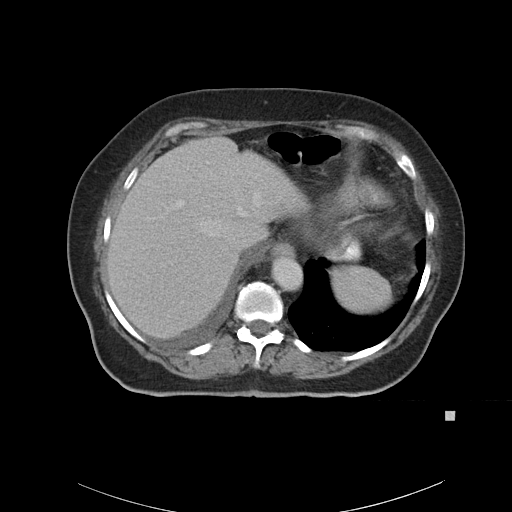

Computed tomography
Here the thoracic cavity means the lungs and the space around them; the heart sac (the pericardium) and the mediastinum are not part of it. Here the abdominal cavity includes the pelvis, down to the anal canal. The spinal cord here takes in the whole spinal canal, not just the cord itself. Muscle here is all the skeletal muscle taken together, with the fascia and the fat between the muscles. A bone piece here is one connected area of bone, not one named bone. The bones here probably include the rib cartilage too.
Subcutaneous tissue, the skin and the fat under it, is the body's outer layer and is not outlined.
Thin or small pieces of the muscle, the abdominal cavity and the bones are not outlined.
The bones appear in 12 outlined pieces: piece 1: [[254,281],[262,281],[272,286],[279,294],[284,308],[283,317],[277,324],[278,328],[284,333],[284,338],[278,344],[268,343],[263,347],[259,368],[254,366],[254,346],[249,342],[239,340],[237,337],[236,332],[241,325],[241,321],[233,313],[240,288]] with a hole at [[254,320],[263,320],[264,321],[265,321],[266,322],[269,323],[269,324],[271,327],[270,330],[269,331],[268,331],[264,335],[262,335],[261,336],[256,336],[251,332],[250,329],[248,327],[248,323],[249,323],[250,322],[251,322]]; piece 2: [[104,289],[108,290],[115,304],[117,306],[123,316],[133,327],[133,328],[143,338],[145,339],[146,341],[145,343],[138,340],[135,337],[130,334],[119,322],[119,321],[115,316],[114,313],[112,311],[110,306],[108,304],[108,302],[104,294]]; piece 3: [[393,149],[397,149],[405,153],[410,158],[413,164],[413,166],[415,170],[415,173],[416,174],[416,177],[415,179],[410,179],[398,166],[392,154],[392,151]]; piece 4: [[338,124],[340,124],[341,125],[352,125],[353,126],[360,126],[364,128],[367,128],[377,133],[378,135],[378,137],[376,139],[374,139],[373,140],[362,139],[355,135],[350,135],[347,133],[345,133],[344,131],[341,128],[338,128],[336,126]]; piece 5: [[391,334],[392,334],[392,338],[390,341],[389,341],[380,349],[367,356],[365,356],[358,359],[355,359],[354,360],[350,360],[349,361],[343,361],[340,358],[341,356],[349,355],[350,354],[352,354],[354,352],[365,349],[368,347],[371,347],[379,343]]; piece 6: [[193,121],[199,121],[200,122],[204,122],[207,124],[207,125],[205,127],[197,127],[196,128],[187,129],[186,130],[183,130],[181,131],[176,135],[173,135],[169,137],[165,136],[165,132],[166,130],[170,127],[178,123],[184,123],[185,122],[192,122]]; piece 7: [[426,260],[428,260],[431,263],[431,267],[430,268],[429,277],[421,296],[416,302],[416,303],[412,306],[411,304],[416,295],[417,290],[419,287],[419,284],[421,280],[421,277],[423,273],[423,270],[424,269],[424,266],[425,265],[425,262]]; piece 8: [[426,208],[428,208],[432,212],[432,213],[433,214],[433,231],[432,232],[432,233],[431,234],[431,235],[427,235],[427,234],[426,233],[426,230],[425,229],[425,222],[424,221],[424,211],[425,210],[425,209]]; piece 9: [[210,341],[212,342],[212,346],[211,348],[207,352],[205,353],[203,353],[202,354],[199,354],[198,355],[191,355],[187,353],[187,350],[188,349],[193,348],[196,346],[198,346],[199,345],[204,344]]; piece 10: [[136,166],[137,167],[138,167],[138,169],[139,170],[138,171],[138,174],[135,178],[133,183],[130,186],[130,187],[127,190],[125,190],[123,188],[123,184],[124,183],[127,176],[129,174],[129,173],[131,171],[131,170],[134,167],[135,167]]; piece 11: [[108,215],[109,215],[110,216],[110,218],[111,219],[111,225],[110,226],[110,230],[109,231],[109,237],[108,238],[108,240],[107,241],[107,242],[106,243],[105,243],[104,242],[104,240],[103,239],[103,230],[104,229],[104,223],[105,222],[105,219]]; piece 12: [[296,335],[297,336],[297,337],[301,341],[302,341],[306,345],[307,345],[310,348],[311,348],[312,349],[312,351],[311,352],[309,352],[308,353],[307,353],[306,352],[304,352],[303,351],[300,350],[292,342],[292,340],[293,339],[293,338]]. The muscle is outlined by [[186,116],[201,116],[202,117],[210,117],[211,118],[228,119],[229,120],[327,120],[328,119],[360,120],[375,125],[401,143],[412,157],[417,166],[417,168],[422,175],[422,178],[427,188],[426,189],[427,191],[431,194],[431,196],[435,201],[439,209],[440,215],[438,221],[439,222],[440,237],[441,238],[441,242],[440,243],[440,253],[441,254],[441,259],[440,260],[441,264],[440,265],[441,266],[441,271],[438,285],[431,303],[427,309],[424,317],[415,329],[398,346],[389,352],[385,353],[379,357],[377,357],[372,361],[367,362],[365,364],[363,364],[347,373],[327,378],[297,379],[290,375],[272,375],[267,371],[262,371],[259,369],[251,369],[249,371],[241,374],[224,376],[218,379],[191,379],[174,374],[167,370],[159,363],[148,360],[143,357],[109,324],[103,313],[101,305],[98,299],[95,296],[92,288],[92,271],[95,264],[94,260],[94,255],[95,254],[93,250],[93,240],[96,234],[96,225],[100,215],[104,199],[124,166],[142,146],[153,136],[159,128],[165,123],[171,120]], around holes outlined by [[282,124],[342,133],[338,124],[360,126],[377,133],[378,137],[371,141],[393,159],[393,149],[410,158],[416,177],[409,181],[417,205],[423,213],[428,208],[433,214],[433,231],[431,235],[425,234],[425,259],[431,267],[421,296],[408,308],[391,333],[390,341],[367,356],[349,361],[340,357],[353,351],[300,350],[292,342],[294,330],[283,318],[277,324],[284,333],[283,340],[263,347],[257,368],[255,348],[238,339],[236,332],[241,321],[232,311],[209,340],[211,348],[202,354],[191,355],[186,348],[138,340],[119,322],[104,294],[104,289],[108,289],[104,223],[108,215],[113,219],[126,195],[123,184],[127,176],[136,166],[139,174],[180,136],[207,132],[230,134]] and by [[193,121],[199,121],[200,122],[204,122],[207,124],[207,125],[205,127],[197,127],[196,128],[187,129],[186,130],[183,130],[181,131],[176,135],[173,135],[169,137],[165,136],[165,132],[166,130],[170,127],[178,123],[184,123],[185,122],[192,122]]. The mediastinum appears in 2 outlined pieces: piece 1: [[292,233],[294,233],[312,251],[315,258],[309,258],[305,262],[303,267],[302,290],[286,311],[283,300],[278,291],[265,281],[250,281],[240,287],[238,291],[238,283],[240,281],[240,278],[242,277],[242,273],[254,252],[262,246],[273,242],[276,238]]; piece 2: [[359,139],[371,141],[378,145],[394,160],[397,166],[409,179],[417,205],[423,213],[425,234],[421,225],[413,215],[409,205],[406,202],[408,194],[400,185],[398,178],[394,172],[389,167],[383,165],[367,166],[363,172],[363,164],[361,157],[361,146]]. The abdominal cavity is outlined by [[282,124],[359,138],[362,173],[339,184],[326,203],[342,222],[408,205],[425,239],[416,245],[417,272],[407,292],[379,315],[349,313],[332,295],[330,263],[286,233],[253,252],[201,328],[173,342],[143,337],[106,279],[112,220],[126,192],[180,136]]. The pericardium is outlined by [[371,166],[383,166],[389,168],[393,172],[397,178],[399,185],[407,194],[405,201],[399,203],[393,207],[383,208],[375,211],[367,212],[354,216],[344,221],[336,219],[328,206],[327,203],[328,196],[339,185],[344,182],[352,181],[356,183],[367,167]]. The thoracic cavity appears in 2 outlined pieces: piece 1: [[423,239],[425,261],[415,295],[399,324],[379,342],[356,351],[316,350],[301,340],[283,318],[303,290],[306,262],[309,259],[319,258],[329,263],[324,270],[329,289],[337,305],[344,311],[361,317],[375,317],[387,312],[403,299],[418,272],[416,248]]; piece 2: [[243,269],[243,271],[241,273],[241,277],[239,278],[239,281],[237,283],[237,291],[238,292],[235,298],[232,311],[219,331],[209,341],[187,349],[186,348],[164,347],[146,339],[164,343],[179,342],[201,329],[211,320],[226,302],[232,290],[235,281]]. The torso is outlined by [[219,87],[297,87],[371,98],[405,117],[420,132],[451,178],[461,202],[465,225],[465,257],[460,285],[421,360],[396,384],[357,397],[159,397],[125,388],[99,362],[87,321],[72,290],[67,264],[67,220],[76,183],[95,154],[142,109],[174,93]]. The spinal cord is outlined by [[254,320],[263,320],[264,321],[265,321],[266,322],[269,323],[269,324],[271,327],[270,330],[269,331],[268,331],[264,335],[262,335],[261,336],[256,336],[251,332],[250,329],[248,327],[248,323],[249,323],[250,322],[251,322]].